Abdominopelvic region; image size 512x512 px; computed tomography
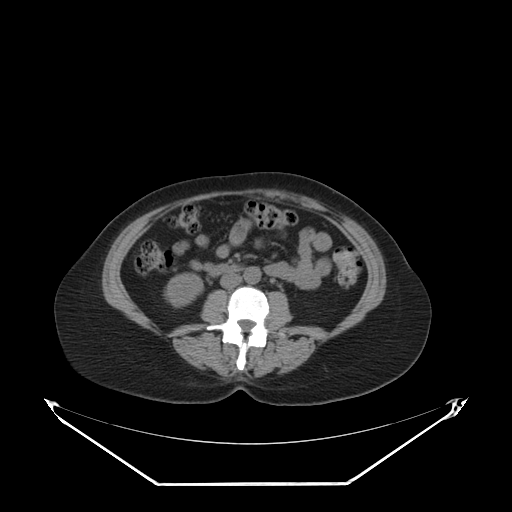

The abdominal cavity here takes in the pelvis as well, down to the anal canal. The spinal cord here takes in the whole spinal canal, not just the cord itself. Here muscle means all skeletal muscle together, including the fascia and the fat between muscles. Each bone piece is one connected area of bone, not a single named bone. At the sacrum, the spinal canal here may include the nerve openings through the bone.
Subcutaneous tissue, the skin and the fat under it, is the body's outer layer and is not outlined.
The abdominal cavity is outlined by (230, 195) (315, 213) (354, 245) (366, 266) (365, 287) (351, 311) (332, 329) (289, 324) (293, 315) (286, 294) (265, 293) (251, 285) (240, 285) (230, 293) (219, 288) (210, 291) (199, 313) (202, 322) (183, 322) (169, 331) (132, 299) (121, 268) (134, 243) (170, 211). The torso is outlined by (251, 171) (291, 172) (325, 183) (355, 201) (392, 235) (423, 282) (431, 303) (427, 341) (416, 362) (397, 379) (369, 393) (303, 406) (259, 402) (242, 390) (212, 403) (168, 403) (114, 391) (76, 374) (61, 352) (54, 297) (66, 271) (103, 227) (128, 205) (167, 184). The muscle is outlined by (249, 188) (279, 189) (280, 190) (285, 190) (286, 191) (294, 192) (302, 195) (305, 195) (318, 201) (332, 205) (342, 214) (348, 216) (357, 222) (371, 236) (381, 252) (381, 254) (383, 257) (383, 261) (385, 265) (385, 271) (386, 272) (386, 288) (385, 289) (384, 297) (381, 302) (375, 308) (369, 311) (366, 314) (364, 319) (362, 321) (353, 327) (349, 328) (342, 333) (337, 335) (335, 337) (329, 339) (321, 345) (318, 346) (310, 357) (304, 363) (300, 365) (296, 369) (294, 369) (286, 374) (283, 374) (280, 376) (275, 376) (274, 377) (263, 377) (262, 378) (252, 379) (244, 372) (238, 372) (232, 378) (229, 378) (228, 379) (220, 379) (215, 376) (210, 375) (206, 372) (200, 371) (195, 367) (190, 365) (175, 351) (173, 347) (167, 341) (163, 338) (154, 334) (148, 329) (142, 327) (137, 323) (127, 318) (121, 311) (114, 308) (110, 305) (105, 300) (103, 296) (102, 286) (101, 285) (102, 270) (103, 269) (103, 265) (107, 253) (116, 237) (129, 223) (141, 215) (155, 208) (157, 208) (162, 205) (172, 202) (175, 200) (194, 196) (198, 194) (207, 193) (212, 191) (243, 190), around a hole outlined by (230, 195) (319, 215) (354, 245) (367, 270) (359, 299) (330, 330) (289, 324) (286, 294) (267, 291) (266, 342) (247, 349) (242, 370) (238, 346) (206, 329) (227, 319) (227, 291) (207, 294) (202, 322) (165, 331) (121, 278) (126, 255) (154, 222) (180, 206). The spinal cord is outlined by (240, 320) (250, 320) (251, 321) (252, 321) (254, 323) (254, 325) (249, 330) (249, 331) (247, 333) (245, 333) (243, 331) (243, 330) (242, 329) (242, 328) (240, 326) (240, 325) (238, 323) (238, 322). The bones are outlined by (240, 286) (251, 286) (261, 290) (266, 295) (269, 305) (269, 312) (264, 320) (268, 330) (265, 345) (250, 346) (247, 349) (246, 362) (242, 370) (236, 366) (238, 346) (233, 343) (224, 343) (223, 334) (219, 329) (206, 329) (208, 325) (220, 324) (227, 319) (229, 296) with a hole at (240, 320) (250, 320) (251, 321) (252, 321) (254, 323) (254, 325) (249, 330) (249, 331) (247, 333) (245, 333) (243, 331) (243, 330) (242, 329) (242, 328) (240, 326) (240, 325) (238, 323) (238, 322).